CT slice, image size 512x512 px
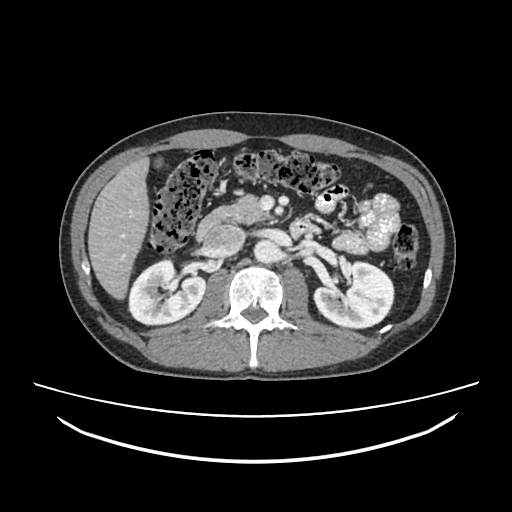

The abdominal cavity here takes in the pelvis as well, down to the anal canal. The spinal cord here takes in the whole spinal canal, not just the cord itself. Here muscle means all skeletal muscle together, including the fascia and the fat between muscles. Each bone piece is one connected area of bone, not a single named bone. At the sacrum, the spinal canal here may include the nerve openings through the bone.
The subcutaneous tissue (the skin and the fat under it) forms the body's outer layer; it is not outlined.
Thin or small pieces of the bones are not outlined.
{"torso":[[[222,381],[311,380],[366,373],[392,361],[434,328],[453,283],[456,239],[446,198],[433,174],[415,154],[382,134],[328,118],[294,113],[218,111],[184,116],[134,132],[105,149],[84,168],[68,194],[58,236],[62,282],[79,321],[104,350],[136,371]]],"spinal_cord":[[[253,323],[255,323],[256,322],[259,321],[263,317],[264,317],[266,314],[261,309],[260,309],[259,308],[257,308],[256,309],[253,309],[252,308],[249,308],[248,309],[245,310],[242,313],[243,314],[243,315],[247,319],[248,319],[251,322],[252,322]]],"muscle":[{"outer":[[230,373],[239,372],[240,371],[276,373],[279,371],[301,370],[307,368],[323,367],[328,365],[335,365],[345,361],[355,360],[365,356],[388,338],[394,334],[396,334],[406,329],[416,321],[423,317],[432,305],[435,296],[437,282],[441,275],[442,265],[443,264],[443,257],[444,256],[445,236],[444,235],[444,228],[443,227],[441,213],[439,209],[439,205],[433,190],[425,177],[415,167],[409,163],[396,157],[388,155],[379,151],[369,150],[357,146],[347,141],[334,137],[328,137],[323,135],[318,135],[311,133],[295,133],[294,134],[287,134],[286,135],[252,135],[230,129],[202,128],[201,129],[192,129],[176,133],[173,135],[155,141],[149,145],[142,145],[126,149],[105,161],[88,176],[78,193],[72,213],[72,218],[70,224],[71,258],[74,270],[78,277],[77,283],[79,289],[84,299],[96,312],[97,314],[96,319],[100,325],[110,335],[116,339],[132,345],[148,360],[154,363],[166,367],[172,367],[173,368],[182,368],[184,367],[190,369],[217,371],[218,372],[225,371]],"hole":[[251,368],[262,332],[299,328],[279,315],[279,274],[290,267],[325,323],[382,334],[414,310],[432,273],[413,196],[367,162],[279,140],[135,158],[90,205],[81,267],[100,302],[130,328],[172,323],[227,269],[230,310],[203,327],[244,330]]}],"abdominal_cavity":[[[365,334],[414,310],[429,253],[413,196],[402,182],[374,165],[270,139],[216,149],[166,150],[121,167],[90,205],[86,253],[94,288],[108,312],[130,328],[164,325],[188,315],[217,269],[233,274],[258,265],[278,274],[296,267],[305,278],[314,318]]],"bones":[{"outer":[[251,368],[258,365],[256,350],[258,337],[262,332],[299,328],[279,315],[283,295],[279,275],[258,266],[249,266],[234,273],[228,290],[230,304],[228,314],[220,319],[211,320],[203,327],[226,329],[232,327],[235,330],[244,330],[249,336]],"hole":[[253,323],[255,323],[256,322],[259,321],[263,317],[264,317],[266,314],[261,309],[260,309],[259,308],[257,308],[256,309],[253,309],[252,308],[249,308],[248,309],[245,310],[242,313],[243,314],[243,315],[247,319],[248,319],[251,322],[252,322]]},[[424,290],[425,289],[426,289],[428,287],[428,286],[429,285],[429,284],[431,281],[431,275],[432,274],[432,273],[431,272],[431,268],[429,266],[426,268],[426,269],[424,272],[424,277],[423,278],[423,283],[422,284],[422,288]]]}